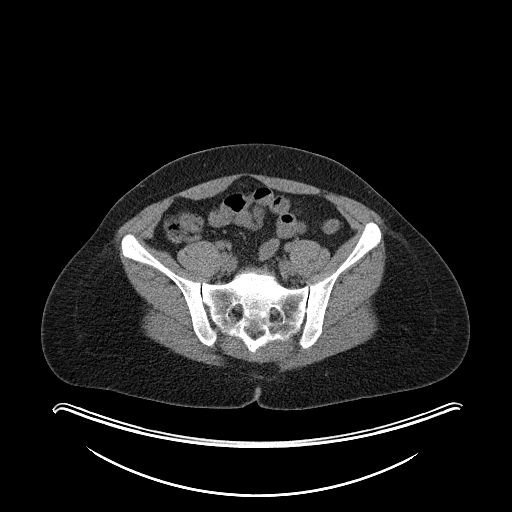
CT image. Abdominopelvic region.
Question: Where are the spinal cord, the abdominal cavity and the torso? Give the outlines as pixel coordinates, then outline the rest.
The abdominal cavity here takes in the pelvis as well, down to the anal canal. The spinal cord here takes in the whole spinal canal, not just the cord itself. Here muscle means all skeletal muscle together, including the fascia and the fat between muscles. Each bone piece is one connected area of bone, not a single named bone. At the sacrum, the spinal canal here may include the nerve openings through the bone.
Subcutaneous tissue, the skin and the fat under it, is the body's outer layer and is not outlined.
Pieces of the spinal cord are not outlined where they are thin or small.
Answer: Outlines:
spinal cord 1: 252,326 253,326 254,327 255,327 256,328 257,328 260,331 262,331 263,332 259,336 258,336 256,338 252,338 249,335 249,334 247,332 247,331 246,330 246,328 249,328 250,327 251,327
spinal cord 2: 272,307 274,307 276,309 277,309 279,311 279,319 278,320 270,320 269,319 269,317 271,315 271,313 270,312 270,309
abdominal cavity: 241,177 256,179 282,192 319,195 335,205 355,232 332,255 311,239 291,244 289,262 305,278 303,286 287,287 274,273 249,267 227,282 210,283 221,258 212,242 188,243 175,259 146,239 176,198 209,198
torso: 252,142 296,147 343,164 431,243 455,276 469,314 468,348 451,374 415,389 307,409 277,410 260,407 255,401 240,408 172,405 71,385 52,372 40,342 46,298 63,267 114,203 146,176 174,159 215,146
muscle: 241,172 248,172 255,174 267,175 272,177 285,178 286,179 295,180 310,185 313,185 321,189 325,189 336,194 339,194 352,198 376,212 383,219 384,223 387,227 387,229 384,234 384,244 385,245 385,254 386,255 385,266 384,267 384,273 381,284 376,293 373,295 373,306 379,319 379,324 378,325 378,329 370,339 361,344 359,344 354,347 339,352 336,354 328,356 319,361 305,365 299,368 294,368 290,370 280,371 278,367 274,363 271,362 264,362 263,363 249,362 245,360 237,359 232,357 229,357 227,359 226,363 221,366 203,363 199,361 190,359 180,354 175,353 157,342 155,342 144,334 142,329 140,327 140,319 143,314 144,301 134,290 130,284 122,267 122,264 119,258 118,251 113,242 113,239 116,231 123,223 130,219 143,208 154,202 159,201 174,193 179,192 202,182 205,182 222,176 236,174 with a hole at 241,177 319,195 355,230 332,255 291,244 307,285 338,268 366,223 380,229 336,278 307,348 300,332 254,352 219,331 202,343 178,286 122,253 130,233 207,283 221,258 212,242 175,259 146,239 176,198
bones: 370,221 379,227 380,241 338,275 321,334 307,348 299,344 300,332 254,352 240,338 219,331 211,346 202,343 178,286 121,250 122,237 130,233 166,267 192,281 223,284 249,268 300,288 332,274 with holes at 252,326 253,326 254,327 255,327 256,328 257,328 260,331 262,331 263,332 259,336 258,336 256,338 252,338 249,335 249,334 247,332 247,331 246,330 246,328 249,328 250,327 251,327 and at 272,307 274,307 276,309 277,309 279,311 279,319 278,320 270,320 269,319 269,317 271,315 271,313 270,312 270,309 and at 236,304 239,304 241,306 241,313 239,315 237,315 236,314 235,314 232,311 232,309 235,306 235,305